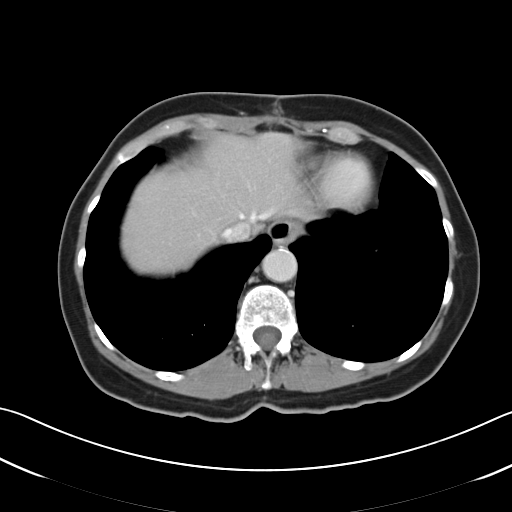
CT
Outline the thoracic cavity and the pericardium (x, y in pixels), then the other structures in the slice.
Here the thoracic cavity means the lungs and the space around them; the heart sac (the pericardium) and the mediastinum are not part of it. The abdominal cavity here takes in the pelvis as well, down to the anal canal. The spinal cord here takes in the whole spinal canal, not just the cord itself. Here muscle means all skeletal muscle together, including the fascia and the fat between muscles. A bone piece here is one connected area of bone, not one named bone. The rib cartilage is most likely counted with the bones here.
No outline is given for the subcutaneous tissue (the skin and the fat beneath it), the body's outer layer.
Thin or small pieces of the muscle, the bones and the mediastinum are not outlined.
{"thoracic_cavity":[[[390,151],[407,162],[435,191],[448,248],[448,270],[442,298],[439,309],[426,332],[397,356],[370,362],[342,358],[313,346],[299,331],[294,302],[298,261],[289,245],[299,239],[310,237],[308,225],[335,211],[359,215],[377,209],[380,205],[381,182]],[[150,145],[162,151],[163,159],[135,182],[117,226],[119,257],[134,276],[173,280],[224,246],[251,242],[260,235],[267,235],[271,242],[243,283],[233,334],[226,346],[213,357],[178,371],[147,367],[118,349],[94,319],[84,285],[90,215],[116,168]]],"pericardium":[[[310,144],[337,146],[340,148],[356,149],[362,151],[368,156],[376,171],[376,184],[373,195],[365,206],[365,210],[363,212],[359,214],[352,214],[340,210],[335,210],[326,214],[325,205],[321,194],[307,177],[303,170],[302,165],[295,155],[304,150]]],"spinal_cord":[[[262,326],[271,326],[272,327],[274,327],[278,329],[278,330],[280,332],[280,337],[278,341],[273,346],[273,347],[271,349],[269,349],[268,350],[266,349],[264,349],[259,344],[258,344],[255,341],[254,339],[254,337],[253,336],[253,334],[255,330]]],"bones":[{"outer":[[262,284],[276,286],[293,295],[291,299],[298,326],[289,353],[278,354],[272,360],[272,387],[267,390],[261,386],[266,377],[262,357],[258,353],[254,354],[251,357],[251,368],[247,370],[244,367],[241,346],[234,334],[238,307],[243,296],[251,288]],"hole":[[262,326],[271,326],[272,327],[274,327],[278,329],[278,330],[280,332],[280,337],[278,341],[273,346],[273,347],[271,349],[269,349],[268,350],[266,349],[264,349],[259,344],[258,344],[255,341],[254,339],[254,337],[253,336],[253,334],[255,330]]},[[180,119],[181,120],[185,120],[190,123],[191,126],[189,128],[177,134],[165,136],[156,139],[153,143],[145,147],[135,156],[123,162],[117,167],[115,167],[114,161],[118,152],[123,150],[131,143],[149,134],[158,127],[171,121],[179,120]],[[332,127],[346,127],[347,128],[349,128],[356,133],[357,133],[361,137],[361,141],[357,143],[350,144],[349,143],[343,143],[342,142],[337,142],[336,141],[333,141],[332,140],[330,140],[326,137],[326,135],[329,132],[330,130],[330,128]],[[155,370],[161,370],[162,371],[172,371],[173,372],[177,372],[178,373],[180,373],[182,374],[184,376],[183,378],[177,381],[170,381],[169,380],[163,380],[162,379],[160,379],[158,378],[155,375],[154,373],[155,372]],[[414,166],[419,166],[420,167],[422,167],[423,168],[426,169],[428,171],[429,171],[433,175],[433,176],[435,178],[435,179],[436,180],[436,181],[438,184],[438,186],[436,188],[434,188],[429,183],[428,183],[414,169],[414,168],[413,167]],[[448,276],[450,276],[451,277],[451,279],[453,283],[453,291],[452,292],[452,294],[451,295],[451,297],[449,301],[443,307],[440,307],[441,306],[441,303],[442,302],[442,299],[443,298],[443,294],[444,293],[444,288],[445,287],[446,279]],[[420,339],[421,339],[421,344],[418,348],[418,349],[412,355],[411,355],[408,358],[407,358],[402,361],[400,361],[399,362],[398,362],[396,360],[396,358],[400,354],[401,354],[404,351],[405,351],[407,349],[408,349],[410,347],[411,347]],[[94,321],[96,322],[96,323],[99,326],[99,327],[101,329],[101,330],[103,332],[105,336],[117,349],[117,350],[112,350],[108,348],[102,342],[102,341],[99,338],[94,328],[94,326],[93,325],[93,323]]],"muscle":[[[116,153],[115,169],[101,192],[87,205],[89,217],[85,242],[76,254],[76,265],[82,270],[85,296],[98,338],[108,349],[119,350],[133,361],[154,370],[158,379],[177,382],[185,376],[179,371],[213,358],[235,335],[242,352],[243,367],[247,371],[252,368],[252,357],[257,354],[261,357],[265,367],[265,377],[260,385],[263,390],[250,390],[213,400],[179,394],[124,371],[94,346],[74,274],[74,257],[83,209]],[[455,232],[459,256],[455,261],[454,293],[442,327],[428,349],[389,373],[356,383],[319,392],[271,389],[273,360],[290,353],[299,332],[313,347],[341,358],[341,366],[351,371],[371,362],[396,357],[399,363],[412,356],[440,308],[452,297],[448,241]],[[191,113],[218,113],[237,116],[245,114],[277,114],[304,121],[348,121],[397,145],[429,170],[419,165],[412,166],[397,153],[378,143],[362,140],[362,137],[357,132],[346,126],[332,126],[325,136],[306,136],[281,124],[263,123],[245,131],[213,128],[217,126],[217,123],[212,118],[204,116],[198,117],[196,121],[205,127],[186,130],[192,126],[190,122],[180,118],[174,119],[158,126],[118,151],[127,142],[161,121]],[[434,175],[437,178],[443,189],[444,195],[446,199],[446,202],[447,203],[448,209],[451,217],[451,222],[451,221],[448,218],[447,218],[444,215],[442,215],[440,205],[438,201],[438,197],[435,190],[435,189],[436,189],[439,186],[439,184]]],"mediastinum":[[[271,244],[274,244],[276,246],[284,246],[289,244],[288,248],[296,258],[297,277],[295,283],[294,294],[287,293],[276,285],[269,283],[262,283],[255,285],[248,289],[242,296],[238,306],[239,298],[244,283],[248,279],[251,272],[257,264],[269,251]],[[301,136],[323,136],[330,141],[350,145],[357,144],[362,141],[370,141],[389,150],[388,158],[380,182],[378,207],[364,212],[366,210],[366,206],[374,195],[377,184],[377,171],[371,159],[366,153],[356,148],[340,147],[337,145],[316,144],[302,138]]],"abdominal_cavity":[[[263,124],[287,127],[312,143],[294,155],[329,215],[307,225],[310,236],[284,245],[276,245],[269,235],[260,234],[251,241],[214,249],[189,271],[173,279],[134,275],[118,251],[118,226],[136,182],[164,159],[163,151],[152,144],[201,128],[245,132]]],"torso":[[[199,91],[347,95],[396,114],[430,143],[445,165],[475,230],[480,282],[465,329],[429,380],[389,401],[321,414],[280,413],[260,407],[229,423],[141,409],[104,393],[92,383],[77,357],[59,302],[57,253],[67,210],[111,140],[128,121],[160,100]]]}